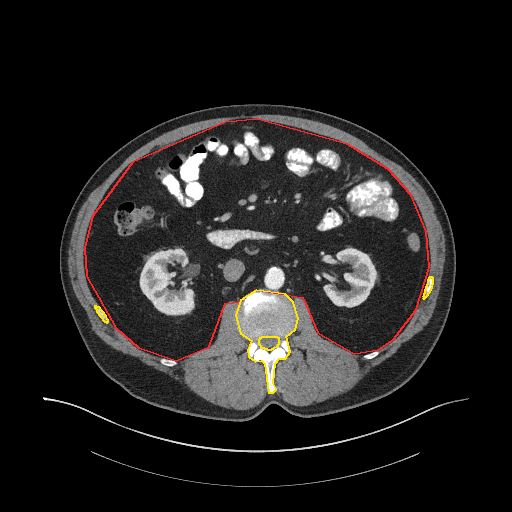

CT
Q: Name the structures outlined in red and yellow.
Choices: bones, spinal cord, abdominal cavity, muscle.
A: red: abdominal cavity; yellow: bones.
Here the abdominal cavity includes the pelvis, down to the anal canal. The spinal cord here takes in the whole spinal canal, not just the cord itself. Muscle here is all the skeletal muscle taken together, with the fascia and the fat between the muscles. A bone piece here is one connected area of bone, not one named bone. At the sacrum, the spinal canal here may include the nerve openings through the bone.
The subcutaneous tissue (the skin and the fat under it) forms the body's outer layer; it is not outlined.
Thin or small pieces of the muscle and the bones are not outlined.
{"abdominal_cavity":[[[176,360],[209,346],[225,303],[239,301],[256,289],[302,297],[317,332],[354,353],[378,349],[393,339],[416,309],[429,267],[426,231],[411,195],[388,169],[347,144],[257,119],[225,122],[132,162],[92,216],[84,247],[86,276],[115,327],[138,347]]],"bones":[{"outer":[[268,392],[273,392],[276,389],[273,383],[275,363],[279,358],[285,358],[290,351],[286,336],[295,329],[298,318],[293,302],[285,294],[256,290],[240,300],[235,315],[240,333],[251,340],[247,350],[248,356],[255,361],[261,360],[264,363]],"hole":[[267,349],[271,349],[272,348],[273,348],[274,347],[277,346],[279,343],[279,338],[278,338],[277,337],[261,337],[260,338],[259,338],[259,339],[258,340],[258,343],[259,344],[260,347],[263,347],[264,348],[266,348]]},[[423,298],[424,298],[428,294],[428,293],[430,291],[430,290],[432,287],[432,284],[433,283],[433,278],[432,277],[429,277],[427,280],[427,284],[425,287],[425,289],[424,290],[424,293],[423,294],[423,296],[422,297]],[[106,322],[107,322],[108,321],[108,320],[107,319],[106,316],[104,314],[104,313],[100,309],[100,308],[99,307],[97,307],[96,306],[94,306],[94,307],[96,309],[96,311],[98,313],[98,314],[102,318],[102,319],[104,321],[105,321]]],"spinal_cord":[[[267,349],[271,349],[272,348],[273,348],[274,347],[277,346],[279,343],[279,338],[278,338],[277,337],[261,337],[260,338],[259,338],[259,339],[258,340],[258,343],[259,344],[260,347],[263,347],[264,348],[266,348]]],"torso":[[[223,421],[252,419],[270,404],[296,416],[315,417],[375,401],[413,377],[439,339],[456,273],[448,215],[420,169],[365,127],[326,112],[283,104],[195,110],[161,122],[117,149],[89,177],[69,211],[59,248],[60,279],[93,361],[110,379],[146,403]]],"muscle":[[[238,410],[256,406],[267,392],[263,363],[247,356],[250,340],[236,327],[238,302],[229,301],[224,306],[217,337],[209,347],[166,367],[158,356],[135,346],[95,311],[93,306],[99,306],[89,289],[83,263],[85,234],[104,193],[128,164],[160,146],[228,120],[257,118],[303,128],[371,156],[398,178],[420,210],[430,250],[428,277],[432,276],[434,283],[406,327],[371,360],[322,338],[313,327],[306,302],[292,299],[299,322],[287,336],[291,351],[276,363],[275,392],[299,406],[347,392],[428,323],[440,289],[445,239],[429,197],[407,171],[360,139],[318,121],[242,114],[168,131],[133,152],[90,193],[72,230],[69,276],[92,330],[113,348],[168,374],[203,399]]]}